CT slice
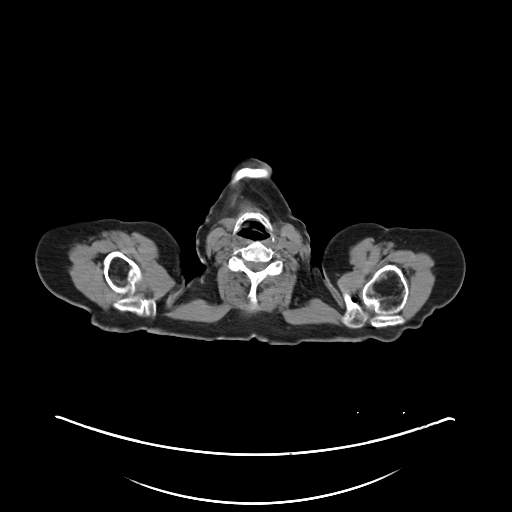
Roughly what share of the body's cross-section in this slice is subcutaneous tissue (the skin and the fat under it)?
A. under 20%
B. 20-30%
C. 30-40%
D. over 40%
D. over 40%
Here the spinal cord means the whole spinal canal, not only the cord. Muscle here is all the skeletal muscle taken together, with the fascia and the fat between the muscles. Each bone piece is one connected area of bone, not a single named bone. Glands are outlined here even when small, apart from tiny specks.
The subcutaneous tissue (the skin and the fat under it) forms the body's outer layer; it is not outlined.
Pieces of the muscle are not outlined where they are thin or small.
Outlined structures:
head and neck: [[248,157],[258,158],[272,168],[273,179],[292,213],[307,228],[311,258],[316,265],[308,281],[292,302],[280,311],[258,318],[249,318],[230,311],[213,298],[206,287],[204,275],[200,270],[201,262],[195,246],[196,231],[226,182],[230,169],[238,161]], around a hole outlined by [[248,220],[255,220],[259,222],[265,228],[265,231],[268,233],[267,237],[264,237],[261,239],[251,239],[250,238],[248,238],[247,237],[245,237],[244,236],[242,236],[238,234],[238,232],[241,229],[246,229],[249,227],[249,223],[248,222],[244,222]]
muscle 1: [[244,178],[267,180],[277,209],[299,231],[305,246],[300,285],[308,291],[318,292],[343,312],[340,317],[343,325],[292,325],[275,312],[247,315],[237,309],[211,323],[164,315],[183,298],[210,284],[212,265],[206,255],[205,239],[221,214],[232,184]], around a hole outlined by [[246,212],[258,212],[269,220],[273,237],[269,232],[259,240],[278,253],[283,263],[279,274],[267,275],[257,285],[256,305],[248,298],[250,280],[246,274],[228,267],[233,248],[246,246],[251,239],[233,234],[232,229],[218,222],[223,218],[235,222]]
muscle 2: [[114,229],[137,231],[157,244],[160,252],[157,260],[176,282],[157,300],[137,293],[137,285],[143,279],[142,270],[133,259],[116,249],[102,259],[107,285],[123,296],[112,303],[115,309],[102,309],[74,286],[68,273],[71,262],[67,255],[72,243]]
muscle 3: [[369,236],[387,238],[398,246],[423,250],[435,260],[432,291],[422,307],[407,321],[399,313],[407,302],[409,288],[404,272],[396,264],[386,263],[378,268],[361,289],[362,303],[372,314],[349,294],[343,293],[337,285],[338,276],[350,267],[349,247]]
bones 1: [[386,264],[394,264],[400,268],[407,283],[407,299],[398,313],[404,319],[404,323],[379,328],[372,326],[368,322],[357,328],[345,326],[341,321],[341,317],[346,309],[344,294],[349,295],[365,311],[372,315],[373,311],[363,303],[362,289],[372,275]]
bones 2: [[116,250],[133,260],[140,268],[142,273],[142,279],[136,285],[136,293],[142,298],[148,299],[156,298],[155,315],[146,314],[139,315],[128,311],[119,311],[113,307],[113,303],[124,296],[122,294],[115,292],[108,285],[103,272],[103,259],[108,253]]
bones 3: [[251,240],[259,240],[265,246],[278,253],[283,263],[282,271],[279,274],[267,275],[257,285],[256,288],[257,304],[256,305],[253,305],[248,298],[250,280],[246,274],[242,271],[232,271],[228,267],[228,260],[232,254],[233,248],[246,246],[250,243]]; inner edge: [[248,262],[263,262],[264,263],[267,263],[267,264],[266,265],[266,266],[263,269],[262,269],[261,270],[259,270],[258,271],[253,271],[251,269],[250,269],[248,267],[248,266],[247,265],[247,263]]
bones 4: [[265,166],[267,166],[271,170],[271,176],[268,179],[266,178],[250,178],[249,177],[244,177],[238,180],[236,182],[234,182],[233,183],[231,182],[232,175],[234,172],[239,168],[241,168],[242,167],[253,167],[254,168],[255,167],[264,167]]
bones 5: [[246,212],[258,212],[265,216],[269,220],[271,224],[272,227],[271,233],[273,237],[271,236],[269,231],[266,229],[266,228],[259,221],[255,219],[248,219],[244,221],[241,224],[240,229],[235,234],[233,234],[233,229],[236,220],[242,214]]
right arm: [[102,218],[115,218],[124,221],[149,220],[156,222],[166,228],[176,239],[181,250],[183,278],[179,286],[173,292],[158,299],[105,299],[84,309],[72,305],[52,294],[42,283],[35,267],[34,251],[40,235],[46,228],[55,224],[76,221],[89,221]]
left arm: [[358,222],[375,222],[385,227],[399,226],[408,228],[435,228],[453,235],[463,250],[466,263],[465,276],[455,297],[445,306],[436,309],[424,320],[422,325],[418,325],[374,313],[341,292],[328,279],[321,268],[321,252],[326,242],[332,235],[340,229]]
spinal cord: [[248,262],[263,262],[264,263],[267,263],[267,264],[266,265],[266,266],[263,269],[262,269],[261,270],[259,270],[258,271],[253,271],[251,269],[250,269],[248,267],[248,266],[247,265],[247,263]]
submandibular glands: [[223,218],[231,218],[232,219],[233,219],[234,220],[234,221],[233,222],[233,226],[232,227],[232,229],[231,230],[228,230],[228,229],[224,225],[223,225],[221,223],[220,223],[219,222],[218,222],[219,221],[219,220],[220,220],[221,219],[222,219]]
torso: [[317,266],[341,293],[366,310],[421,326],[407,329],[391,342],[370,338],[270,345],[255,338],[206,341],[144,330],[119,333],[92,325],[85,310],[105,300],[162,299],[180,286],[184,276],[189,280],[199,270],[217,303],[230,312],[258,319],[292,303]]